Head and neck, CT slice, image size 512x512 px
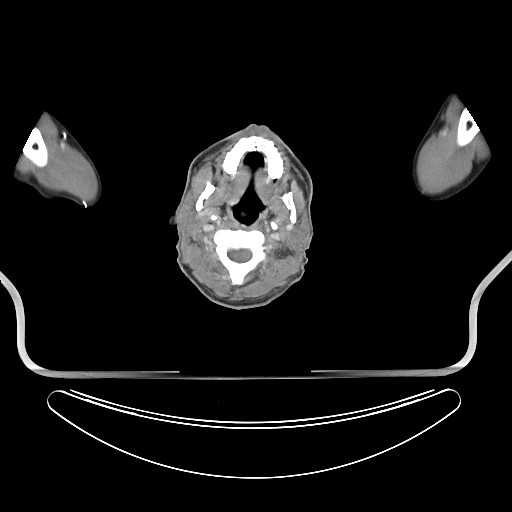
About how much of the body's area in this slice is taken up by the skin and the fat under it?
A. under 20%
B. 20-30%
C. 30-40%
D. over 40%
Answer: A. under 20%
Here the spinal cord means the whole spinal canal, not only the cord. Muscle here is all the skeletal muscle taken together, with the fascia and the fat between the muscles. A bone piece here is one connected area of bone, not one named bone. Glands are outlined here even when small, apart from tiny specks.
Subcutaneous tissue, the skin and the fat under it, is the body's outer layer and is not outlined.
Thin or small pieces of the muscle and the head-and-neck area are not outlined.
The head and neck is outlined by 252,123 263,124 273,130 308,170 313,187 310,212 314,239 305,251 307,262 303,276 285,293 263,306 233,309 210,301 180,270 176,262 177,228 170,226 169,218 180,200 185,186 188,168 193,158 209,144 with holes at 250,185 252,186 253,190 255,192 255,194 257,196 261,204 261,209 259,210 257,214 257,216 253,221 250,223 244,223 242,222 239,218 236,217 234,215 233,210 234,208 238,205 240,202 240,200 245,197 and at 250,153 258,153 259,154 260,154 262,156 262,163 260,165 258,165 257,166 257,167 256,167 255,168 252,168 247,163 246,163 245,162 245,158 246,157 246,156 247,155 247,154 249,154. The spinal cord is outlined by 230,249 233,249 234,250 238,250 239,249 249,249 251,252 251,257 248,260 246,261 243,261 242,262 238,262 237,261 235,261 231,259 228,256 227,254 227,252 228,250. The muscle appears in 3 outlined pieces: piece 1: 250,131 265,132 281,145 291,161 301,172 305,183 307,185 307,212 300,219 300,222 295,230 296,242 302,248 302,261 298,272 285,285 280,287 275,292 260,299 228,301 226,299 217,297 212,294 201,283 197,282 180,263 179,260 179,228 180,227 182,228 190,217 189,205 184,200 191,187 194,169 198,167 202,159 208,154 229,142 236,135 with holes at 219,228 230,229 241,228 245,230 255,229 262,232 265,237 264,242 266,247 264,249 265,259 259,262 255,268 249,271 244,276 242,284 232,284 228,270 219,260 215,252 215,245 212,241 212,238 214,232 and at 252,135 258,135 273,141 283,161 283,172 279,179 275,179 266,183 264,181 267,176 266,165 262,163 257,167 252,168 245,162 244,159 240,162 235,176 231,178 229,174 223,171 222,163 226,153 239,139 and at 250,185 252,186 253,190 255,192 255,194 257,196 261,204 261,209 259,210 257,214 257,216 253,221 250,223 244,223 242,222 239,218 236,217 234,215 233,210 234,208 238,205 240,202 240,200 245,197 and at 290,190 292,190 293,192 293,201 294,202 294,204 295,205 295,209 296,210 296,220 292,225 290,221 290,211 288,209 288,208 286,206 286,205 284,203 284,202 281,198 281,196 284,193 and at 207,179 210,180 211,183 215,186 215,189 207,198 206,198 203,200 203,201 202,202 202,208 199,211 197,211 195,208 195,203 196,202 196,201 197,200 200,193 203,190 203,189 205,186 205,181; piece 2: 453,97 458,97 464,106 458,117 455,136 456,144 459,147 466,146 481,132 489,147 489,152 482,160 473,162 470,173 458,184 439,193 427,193 422,190 417,179 416,166 418,156 427,136 433,130 439,116; piece 3: 43,112 66,134 68,143 77,149 90,164 97,180 97,194 92,201 84,203 67,192 47,190 36,181 23,177 15,170 21,152 28,160 39,168 46,166 49,161 49,153 46,143 41,131 35,125. The parotid glands appear in 2 outlined pieces: piece 1: 306,215 307,216 307,221 309,224 309,239 307,241 307,243 306,243 305,244 305,246 304,247 301,247 297,242 297,239 296,238 296,230 297,229 297,228 298,227 298,226 299,225 299,224 301,222 301,219; piece 2: 184,202 185,203 186,203 188,205 188,211 189,212 189,217 188,218 187,221 185,223 185,224 182,227 181,226 180,226 180,225 178,223 178,221 177,220 177,215 178,214 178,210 179,209 180,206. The left arm is outlined by 451,91 456,94 462,102 463,105 467,108 473,116 489,147 492,157 483,172 465,190 448,199 440,201 432,201 425,199 420,196 415,191 412,185 411,181 412,159 420,140 430,125 443,100 449,92. The right arm is outlined by 47,109 52,112 78,140 91,158 99,173 102,183 102,196 100,201 93,207 80,206 67,199 56,200 45,199 32,188 20,185 13,178 12,175 20,153 22,151 22,148 31,130 36,124 36,122 42,113. The bones appear in 6 outlined pieces: piece 1: 219,228 230,229 241,228 245,230 255,229 262,232 265,237 264,242 266,247 264,249 265,259 259,262 255,268 249,271 244,276 242,284 232,284 228,270 219,260 215,252 215,245 212,241 212,238 214,232; inner edge: 230,249 233,249 234,250 238,250 239,249 249,249 251,252 251,257 248,260 246,261 243,261 242,262 238,262 237,261 235,261 231,259 228,256 227,254 227,252 228,250; piece 2: 252,135 258,135 273,141 283,161 283,172 279,179 272,180 268,183 264,181 267,176 266,165 263,163 263,156 258,152 246,154 244,159 240,162 235,176 231,178 229,174 223,171 222,163 226,153 239,139; piece 3: 34,126 36,126 40,131 41,133 41,135 43,138 43,140 45,143 45,145 47,149 47,152 48,153 48,161 46,165 42,167 39,167 35,165 23,154 23,152 22,151 22,148 31,130 34,127; piece 4: 465,107 467,108 467,109 473,116 475,121 479,126 479,129 480,131 479,131 474,136 474,137 469,143 463,146 459,146 456,142 457,127 458,126 458,122 459,121 459,117 460,116 460,114 463,108; piece 5: 290,190 292,190 293,192 293,201 294,202 294,204 295,205 295,209 296,210 296,220 292,225 290,221 290,211 288,209 288,208 286,206 286,205 284,203 284,202 281,198 281,196 284,193; piece 6: 207,179 210,180 211,183 215,186 215,189 207,198 206,198 203,200 203,201 202,202 202,208 199,211 197,211 195,208 195,203 196,202 196,201 197,200 200,193 203,190 203,189 205,186 205,181.